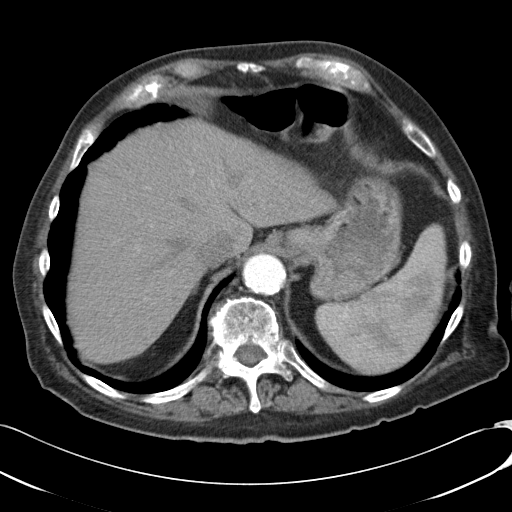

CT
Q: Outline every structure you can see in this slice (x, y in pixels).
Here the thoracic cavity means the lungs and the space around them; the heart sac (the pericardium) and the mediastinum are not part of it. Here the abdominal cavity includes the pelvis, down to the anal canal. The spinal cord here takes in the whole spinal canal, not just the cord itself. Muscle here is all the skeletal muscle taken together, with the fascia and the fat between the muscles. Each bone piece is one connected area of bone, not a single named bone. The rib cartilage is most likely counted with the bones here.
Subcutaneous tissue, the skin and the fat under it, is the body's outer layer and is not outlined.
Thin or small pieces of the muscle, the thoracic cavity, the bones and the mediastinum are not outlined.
A: bones 1: [[240,296],[273,308],[280,331],[329,386],[319,388],[292,367],[288,380],[263,373],[255,387],[261,408],[254,413],[245,382],[236,376],[222,378],[214,368],[180,398],[140,400],[144,394],[177,386],[204,367],[212,358],[205,352],[211,341],[210,310]] with a hole at [[248,343],[250,343],[251,344],[253,344],[254,345],[256,345],[260,347],[265,353],[265,356],[263,358],[262,358],[255,364],[251,366],[246,365],[242,363],[240,361],[239,361],[239,360],[236,357],[235,355],[235,353],[239,347],[245,344],[247,344]]
bones 2: [[300,57],[311,57],[316,59],[336,60],[347,63],[354,68],[358,69],[361,72],[363,78],[369,83],[370,90],[366,91],[359,87],[349,87],[340,83],[337,83],[335,81],[330,81],[318,77],[314,75],[307,68],[297,68],[295,66],[295,62]]
bones 3: [[151,75],[159,75],[160,76],[165,76],[167,77],[166,82],[158,92],[157,99],[153,102],[148,103],[138,108],[135,108],[134,107],[125,107],[122,108],[120,107],[120,103],[122,100],[122,97],[124,95],[127,94],[134,86],[141,82],[142,80]]
bones 4: [[404,119],[411,122],[415,126],[421,129],[428,136],[436,152],[436,154],[434,157],[431,158],[427,155],[426,155],[420,149],[419,149],[406,136],[406,135],[402,131],[401,129],[401,125],[402,124],[402,121]]
bones 5: [[93,127],[96,127],[98,128],[100,130],[100,133],[95,139],[93,143],[83,154],[77,166],[70,171],[69,170],[69,167],[73,157],[73,154],[75,150],[75,147],[76,146],[76,143],[77,142],[78,137],[84,129],[87,129],[88,128],[89,129]]
bones 6: [[82,373],[85,373],[88,375],[90,375],[102,381],[104,383],[107,384],[109,386],[114,388],[116,390],[119,391],[121,393],[125,395],[125,398],[114,398],[113,397],[108,396],[98,391],[96,389],[89,385],[82,378],[81,376],[81,374]]
bones 7: [[399,384],[402,384],[403,385],[403,387],[401,390],[396,394],[388,398],[386,398],[382,400],[379,400],[378,401],[374,401],[373,402],[369,402],[368,401],[363,400],[362,398],[363,396],[370,392],[386,389],[387,388],[389,388],[390,387],[392,387]]
bones 8: [[44,303],[46,303],[47,306],[52,313],[57,323],[57,325],[59,328],[59,331],[60,332],[61,339],[63,343],[62,345],[59,344],[59,343],[57,341],[55,337],[52,334],[48,326],[46,324],[46,322],[42,315],[42,310],[41,309],[41,307]]
bones 9: [[459,303],[461,303],[464,307],[464,309],[463,310],[463,314],[461,317],[461,319],[454,329],[454,330],[450,334],[450,335],[443,342],[441,343],[440,341],[442,338],[442,336],[444,333],[444,331],[448,323],[448,321],[452,313],[459,304]]
bones 10: [[464,240],[466,240],[467,241],[468,241],[468,242],[470,244],[470,246],[471,247],[471,258],[470,259],[469,264],[467,266],[467,267],[464,269],[463,268],[462,268],[459,265],[459,261],[458,260],[458,255],[459,254],[459,246],[460,245],[460,243]]
bones 11: [[243,61],[245,61],[246,62],[253,62],[256,64],[259,64],[260,65],[262,65],[265,67],[265,70],[263,71],[260,71],[259,72],[251,72],[249,71],[246,73],[243,73],[239,71],[236,68],[236,65],[239,62],[242,62]]
bones 12: [[180,63],[189,63],[190,64],[193,64],[194,65],[196,65],[196,66],[197,67],[197,72],[194,75],[188,75],[185,77],[183,77],[182,76],[181,76],[180,75],[179,75],[177,73],[175,73],[174,72],[174,68],[178,64],[179,64]]
bones 13: [[449,178],[450,178],[458,186],[458,187],[459,188],[459,190],[460,191],[460,193],[461,194],[461,199],[458,203],[453,203],[450,199],[450,197],[448,194],[448,192],[447,191],[447,188],[446,187],[446,182],[447,181],[447,179],[448,179]]
bones 14: [[44,248],[46,248],[47,249],[47,250],[48,251],[48,253],[49,254],[49,269],[48,270],[48,271],[47,272],[47,273],[44,278],[42,276],[42,275],[40,272],[40,270],[39,269],[39,255],[40,254],[40,252],[41,251],[41,250]]
mediastinum 1: [[259,254],[270,254],[277,257],[282,261],[286,269],[284,323],[287,327],[288,337],[282,332],[280,322],[274,308],[269,303],[260,298],[250,295],[226,297],[223,301],[216,303],[212,307],[218,294],[234,279],[232,274],[229,275],[232,271],[246,259]]
mediastinum 2: [[357,89],[371,95],[381,105],[399,125],[401,131],[405,136],[419,150],[431,159],[437,167],[439,173],[426,167],[423,163],[412,161],[409,159],[397,159],[391,157],[392,146],[388,138],[369,111],[360,103],[357,104],[356,103],[352,91]]
thoracic cavity 1: [[155,102],[183,115],[128,131],[86,164],[63,298],[72,346],[82,364],[104,376],[137,383],[155,378],[188,352],[212,290],[233,279],[209,310],[210,341],[195,370],[171,388],[134,393],[72,361],[46,302],[44,279],[48,236],[66,178],[122,111]]
thoracic cavity 2: [[458,268],[461,291],[459,302],[451,313],[430,359],[417,373],[401,383],[369,392],[335,385],[314,371],[301,358],[289,338],[289,330],[294,340],[298,340],[320,362],[336,371],[362,377],[392,373],[415,358],[430,339],[452,299],[457,285],[455,274]]
torso: [[294,39],[338,42],[378,60],[410,83],[448,128],[475,177],[488,218],[497,265],[498,330],[510,356],[507,368],[495,379],[410,415],[291,443],[170,440],[83,416],[42,388],[30,370],[12,284],[28,205],[68,125],[97,89],[150,58],[190,47]]
pericardium: [[358,104],[360,104],[363,106],[373,117],[378,126],[380,128],[381,131],[390,143],[390,145],[391,146],[391,155],[389,158],[387,159],[382,156],[377,155],[375,153],[366,149],[359,141],[356,134],[356,117],[355,116],[355,114],[356,113],[356,107]]
abdominal cavity: [[230,66],[359,88],[351,93],[360,144],[443,178],[459,239],[456,285],[399,369],[348,374],[294,339],[287,269],[270,253],[246,258],[211,290],[193,343],[163,373],[123,381],[79,359],[64,298],[87,164],[128,132],[183,116],[156,101],[161,92]]
spinal cord: [[248,343],[250,343],[251,344],[253,344],[254,345],[256,345],[260,347],[265,353],[265,356],[263,358],[262,358],[255,364],[251,366],[246,365],[242,363],[240,361],[239,361],[239,360],[236,357],[235,355],[235,353],[239,347],[245,344],[247,344]]
muscle 1: [[77,138],[68,167],[69,173],[59,194],[52,196],[48,206],[47,216],[51,224],[47,248],[42,248],[38,255],[45,300],[40,309],[49,331],[82,372],[81,378],[108,397],[125,399],[126,395],[121,391],[143,394],[139,400],[148,404],[174,401],[189,393],[216,369],[222,379],[236,377],[244,382],[248,393],[248,412],[200,424],[142,416],[90,396],[57,374],[50,364],[41,344],[31,295],[32,259],[47,198]]
muscle 2: [[432,141],[455,175],[466,199],[465,207],[474,237],[470,279],[472,286],[469,300],[471,305],[468,310],[468,335],[473,344],[473,357],[458,361],[440,370],[405,394],[375,407],[328,414],[299,415],[269,409],[259,412],[262,408],[256,388],[259,377],[263,374],[275,374],[288,381],[292,378],[291,368],[322,390],[326,390],[332,384],[347,390],[367,392],[361,398],[369,403],[388,399],[399,393],[404,387],[402,383],[417,374],[428,363],[438,344],[443,343],[461,321],[465,307],[460,302],[462,291],[458,264],[464,270],[468,267],[472,258],[472,247],[466,239],[460,242],[456,226],[454,204],[458,204],[462,199],[460,188],[450,177],[445,181],[432,160],[437,154]]
muscle 3: [[187,57],[243,60],[235,66],[226,66],[199,78],[175,84],[159,93],[168,77],[151,74],[134,85],[121,97],[119,107],[122,109],[127,108],[122,110],[105,128],[101,131],[98,127],[93,126],[84,128],[80,133],[85,124],[131,81],[151,69]]; inner edge: [[180,63],[189,63],[190,64],[193,64],[194,65],[196,65],[196,66],[197,67],[197,72],[194,75],[188,75],[185,77],[183,77],[182,76],[181,76],[180,75],[179,75],[177,73],[175,73],[174,72],[174,68],[178,64],[179,64]]
muscle 4: [[305,52],[328,53],[346,57],[357,62],[369,72],[396,105],[421,128],[405,118],[401,121],[400,126],[382,105],[371,94],[366,92],[369,92],[371,90],[371,85],[364,78],[362,72],[358,68],[354,67],[347,62],[336,59],[325,59],[311,56],[300,56],[295,60],[294,66],[297,69],[309,70],[315,76],[313,77],[302,75],[293,69],[266,67],[262,64],[254,62],[257,62],[260,60],[271,60],[283,58]]
muscle 5: [[205,353],[207,356],[208,356],[209,357],[211,357],[211,358],[209,360],[208,360],[204,364],[203,367],[202,367],[194,375],[189,377],[196,370],[196,369],[198,367],[198,366],[202,361],[202,359],[203,358],[203,357],[204,356],[204,354]]